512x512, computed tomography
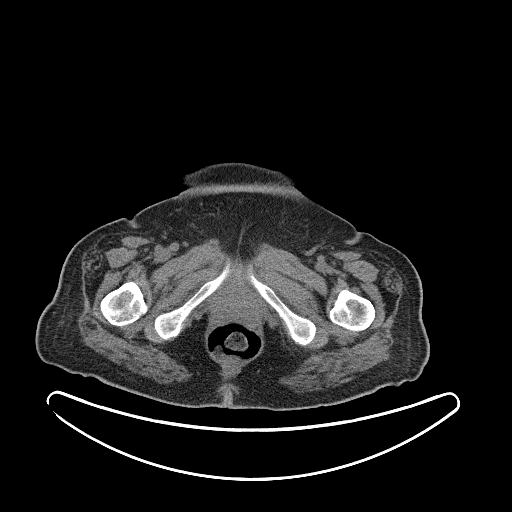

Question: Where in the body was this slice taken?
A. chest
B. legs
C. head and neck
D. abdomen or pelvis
Answer: D. abdomen or pelvis
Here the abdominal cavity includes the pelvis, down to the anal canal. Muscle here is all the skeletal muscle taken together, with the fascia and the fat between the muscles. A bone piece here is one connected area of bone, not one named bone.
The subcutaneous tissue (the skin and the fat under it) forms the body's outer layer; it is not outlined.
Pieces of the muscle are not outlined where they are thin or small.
Outlined structures:
torso: (226, 161) (290, 175) (306, 195) (409, 258) (421, 281) (421, 319) (429, 342) (429, 357) (418, 378) (343, 403) (306, 409) (196, 408) (160, 402) (94, 377) (69, 373) (39, 357) (37, 323) (74, 244) (100, 225) (131, 218) (177, 194) (185, 188) (180, 182) (184, 174)
abdominal cavity: (232, 286) (239, 286) (250, 294) (253, 299) (254, 304) (258, 310) (259, 318) (262, 327) (262, 343) (259, 350) (251, 359) (241, 363) (226, 363) (223, 360) (211, 354) (207, 346) (207, 338) (210, 331) (210, 327) (213, 318) (213, 312) (215, 310) (215, 305) (225, 290)
muscle: (111, 232) (179, 254) (210, 238) (243, 258) (263, 242) (301, 260) (349, 249) (383, 253) (402, 282) (391, 357) (337, 386) (296, 392) (277, 379) (302, 352) (266, 324) (264, 330) (263, 347) (261, 353) (254, 357) (260, 350) (261, 346) (263, 343) (263, 342) (263, 341) (263, 327) (259, 310) (232, 285) (214, 305) (209, 331) (206, 338) (206, 346) (211, 355) (218, 358) (226, 364) (251, 360) (230, 381) (237, 388) (218, 390) (221, 367) (206, 350) (206, 315) (178, 336) (230, 274) (227, 262) (153, 320) (162, 340) (176, 338) (167, 349) (190, 379) (162, 384) (134, 373) (84, 345) (77, 325) (83, 254), around holes outlined by (127, 281) (133, 281) (137, 284) (143, 294) (144, 301) (148, 306) (148, 309) (143, 315) (142, 315) (138, 319) (132, 323) (130, 323) (123, 326) (116, 326) (109, 323) (103, 316) (100, 310) (100, 306) (99, 305) (100, 304) (100, 301) (107, 293) (117, 288) (121, 284) and by (343, 289) (348, 289) (356, 294) (363, 296) (370, 300) (373, 304) (375, 309) (375, 317) (371, 324) (367, 328) (360, 331) (353, 331) (344, 328) (342, 326) (340, 326) (335, 323) (333, 323) (330, 320) (329, 318) (329, 311) (333, 306) (334, 301) (336, 299) (337, 295) and by (251, 273) (258, 280) (270, 287) (293, 312) (300, 316) (309, 319) (314, 323) (316, 327) (316, 332) (313, 339) (308, 344) (306, 345) (300, 345) (296, 343) (292, 339) (288, 333) (288, 330) (285, 323) (279, 316) (278, 313) (260, 295) (251, 284) (249, 280) (249, 275)
bones 1: (127, 281) (133, 281) (137, 284) (143, 294) (144, 301) (148, 306) (148, 309) (143, 315) (142, 315) (138, 319) (132, 323) (130, 323) (123, 326) (116, 326) (109, 323) (103, 316) (100, 310) (100, 306) (99, 305) (100, 304) (100, 301) (107, 293) (117, 288) (121, 284)
bones 2: (227, 263) (229, 263) (230, 265) (230, 272) (227, 277) (216, 290) (206, 297) (191, 311) (183, 322) (183, 327) (179, 334) (174, 338) (167, 340) (162, 339) (158, 335) (154, 328) (154, 320) (156, 316) (161, 313) (170, 311) (181, 306) (205, 282) (215, 278) (222, 271)
bones 3: (343, 289) (348, 289) (356, 294) (363, 296) (370, 300) (373, 304) (375, 309) (375, 317) (371, 324) (367, 328) (360, 331) (353, 331) (344, 328) (342, 326) (340, 326) (335, 323) (333, 323) (330, 320) (329, 318) (329, 311) (333, 306) (334, 301) (336, 299) (337, 295)
bones 4: (251, 273) (258, 280) (270, 287) (293, 312) (300, 316) (309, 319) (314, 323) (316, 327) (316, 332) (313, 339) (308, 344) (306, 345) (300, 345) (296, 343) (292, 339) (288, 333) (288, 330) (285, 323) (279, 316) (278, 313) (260, 295) (251, 284) (249, 280) (249, 275)